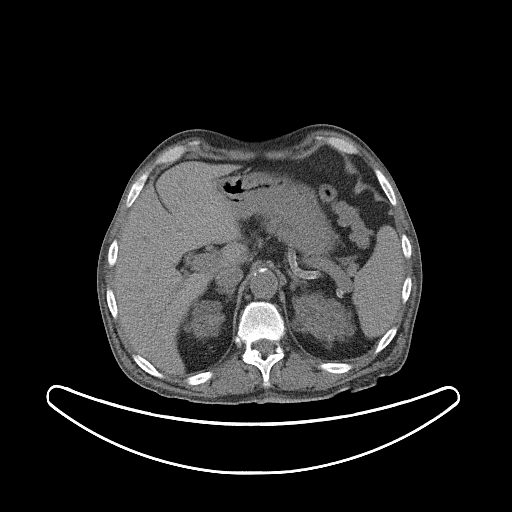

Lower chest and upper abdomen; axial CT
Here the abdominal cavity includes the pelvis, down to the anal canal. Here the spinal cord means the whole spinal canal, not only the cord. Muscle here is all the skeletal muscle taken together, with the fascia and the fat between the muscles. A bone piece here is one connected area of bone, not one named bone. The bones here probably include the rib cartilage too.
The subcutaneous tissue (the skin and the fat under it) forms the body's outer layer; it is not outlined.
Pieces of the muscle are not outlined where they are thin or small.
The torso is outlined by 314,123 337,125 360,137 389,170 412,220 421,252 423,279 410,348 402,367 367,388 294,403 195,403 161,396 133,382 118,366 106,336 96,291 96,268 105,232 135,168 160,142 186,129 210,129 253,140. The mediastinum appears in 2 outlined pieces: piece 1: 260,268 265,268 268,270 273,270 273,271 277,274 279,278 278,299 277,300 277,303 275,304 272,302 265,300 252,300 246,304 244,302 244,288 246,286 246,283 250,278 250,276 251,276 256,270 259,270; piece 2: 350,154 351,155 359,155 368,165 368,166 375,174 375,175 376,176 376,177 377,178 387,199 386,198 384,198 383,197 380,196 372,188 371,188 363,182 363,178 362,177 362,176 352,163 352,160 351,159. The bones appear in 13 outlined pieces: piece 1: 252,301 265,301 275,305 283,318 285,326 285,334 280,340 284,356 270,368 269,386 264,386 262,384 263,378 261,371 255,365 246,363 242,359 242,355 245,350 244,344 237,346 234,342 242,311 245,306, around a hole outlined by 260,339 266,339 267,340 269,340 270,341 272,341 272,342 273,343 273,349 272,350 272,351 270,353 267,354 265,356 264,356 257,349 254,348 254,347 253,346 253,343 254,342 255,342 256,341 257,341; piece 2: 191,141 199,141 198,145 196,146 188,146 187,147 187,150 183,154 183,155 182,155 179,158 171,162 168,162 167,163 161,163 160,164 153,166 154,162 156,160 156,159 164,152 178,145 186,145; piece 3: 316,136 321,136 322,137 329,137 330,136 332,136 333,137 341,138 351,143 355,146 358,150 358,153 357,154 351,154 350,153 346,153 343,151 340,151 338,149 326,143 324,140 319,140 317,139 316,138; piece 4: 151,167 152,167 152,169 146,181 144,183 143,187 139,192 137,197 135,199 133,203 129,207 127,207 126,206 126,198 127,197 127,195 129,192 129,190 132,184 140,176 140,175 141,175 145,171 146,171; piece 5: 375,169 379,169 387,178 388,181 390,183 390,184 394,191 394,194 395,195 395,197 396,198 396,204 394,206 390,203 390,201 388,199 388,198 387,197 387,196 386,195 376,174 374,172 374,170; piece 6: 327,362 344,362 345,363 349,363 351,364 352,365 352,367 346,372 342,372 341,373 333,373 332,372 329,372 328,371 326,371 322,369 319,369 317,367 318,364 320,363 326,363; piece 7: 135,353 137,353 139,354 142,357 143,357 146,360 147,360 158,371 162,373 164,375 164,376 162,378 159,378 158,377 156,377 148,373 142,368 141,368 134,361 132,357 132,355; piece 8: 392,326 396,326 397,327 397,330 396,331 396,333 395,334 395,335 393,337 393,338 391,340 391,341 381,351 380,351 378,353 375,354 374,353 374,350 375,349 378,342 380,340 380,339 384,335 384,334; piece 9: 204,371 211,371 213,373 213,375 210,379 209,379 202,383 199,383 198,384 195,384 194,385 191,385 190,384 188,384 185,381 185,379 187,377 188,377 191,375 193,375 194,374 199,373 200,372 203,372; piece 10: 107,287 110,287 113,290 113,293 114,294 114,296 115,297 115,302 116,303 116,305 117,306 117,317 115,319 112,316 112,315 110,312 110,310 108,307 108,304 107,303 107,300 106,299 106,289 107,288; piece 11: 114,239 116,239 118,241 118,245 117,246 118,247 117,248 117,256 116,257 116,259 115,260 115,263 114,265 113,266 110,266 108,263 108,258 107,257 108,256 108,250 109,249 109,246 110,244; piece 12: 407,276 409,276 411,278 411,289 410,290 410,293 409,294 409,296 408,297 406,302 405,303 403,303 402,302 402,300 401,299 401,294 402,293 402,287 403,286 403,283 404,282 405,277 406,277; piece 13: 402,234 405,234 407,236 407,237 408,238 408,239 409,240 409,242 410,243 410,245 411,246 411,255 410,256 410,257 409,258 406,258 404,256 404,254 403,253 403,251 402,250 402,245 401,244 401,235. The abdominal cavity is outlined by 324,143 349,154 362,182 391,205 404,257 391,326 359,356 328,361 310,355 292,343 276,306 278,274 260,267 243,288 245,305 227,356 186,375 158,370 128,340 114,293 124,221 148,178 184,154 302,159. The muscle appears in 2 outlined pieces: piece 1: 317,130 328,130 343,134 349,137 362,147 384,170 385,173 388,176 400,201 405,219 407,221 409,227 409,235 413,240 413,244 416,255 416,258 415,259 416,266 414,269 414,274 416,279 416,291 415,292 414,302 411,311 411,315 409,319 408,327 406,332 405,344 402,349 401,354 390,365 379,368 374,371 353,378 338,385 320,390 281,390 275,388 269,388 268,389 261,388 248,393 227,394 226,395 220,395 215,397 205,397 198,395 189,395 184,393 167,390 155,386 150,383 147,383 136,377 124,365 116,348 104,308 101,284 103,280 103,274 102,273 103,262 105,258 105,254 108,246 108,239 110,235 110,232 119,213 121,205 127,193 127,191 137,174 166,147 174,144 178,141 191,137 201,138 205,140 210,145 216,148 222,148 228,150 231,150 232,149 278,150 279,149 291,147 296,144 298,144 308,133 with a hole at 316,136 351,143 373,172 383,173 394,191 395,224 411,246 410,257 403,259 411,289 406,302 399,302 391,324 397,330 391,341 376,354 375,345 345,359 352,367 333,373 319,369 318,364 328,361 296,347 286,329 280,340 284,356 270,368 269,386 262,384 261,371 242,359 243,343 234,342 227,356 206,369 213,375 202,383 185,381 196,372 164,373 159,378 145,371 134,361 132,355 137,352 106,299 107,287 114,289 108,250 114,239 120,239 132,184 164,152 191,141 199,141 198,145 188,146 184,153 194,156 283,160 302,159 316,151 325,142; piece 2: 161,164 163,164 163,165 162,165 157,170 156,170 155,171 154,171 153,172 153,173 152,173 151,174 151,175 150,175 150,174 151,173 151,172 153,169 153,167 154,167 155,166 157,166 158,165 160,165. The spinal cord is outlined by 260,339 266,339 267,340 269,340 270,341 272,341 272,342 273,343 273,349 272,350 272,351 270,353 267,354 265,356 264,356 257,349 254,348 254,347 253,346 253,343 254,342 255,342 256,341 257,341.